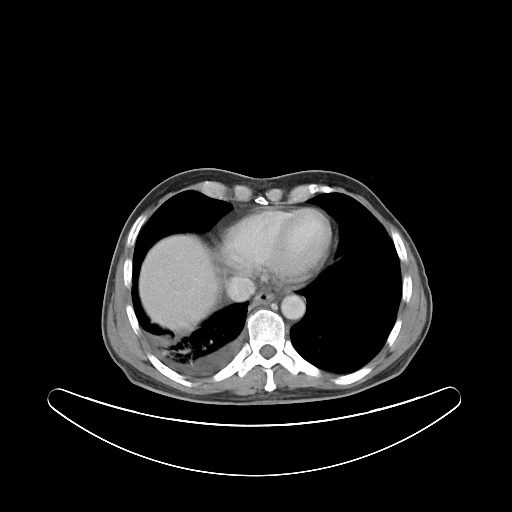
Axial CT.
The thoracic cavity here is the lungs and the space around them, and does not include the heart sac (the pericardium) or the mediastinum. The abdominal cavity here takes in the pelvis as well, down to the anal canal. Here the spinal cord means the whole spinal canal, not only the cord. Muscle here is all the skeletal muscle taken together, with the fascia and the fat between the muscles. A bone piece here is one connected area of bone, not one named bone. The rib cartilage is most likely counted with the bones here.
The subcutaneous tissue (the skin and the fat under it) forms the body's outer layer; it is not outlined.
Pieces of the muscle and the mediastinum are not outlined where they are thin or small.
Outlines (x, y in pixels):
torso: (194, 168) (219, 168) (259, 178) (302, 170) (329, 170) (351, 176) (372, 190) (412, 238) (422, 259) (432, 296) (429, 329) (405, 369) (387, 381) (346, 397) (276, 405) (195, 403) (133, 384) (113, 361) (102, 339) (101, 309) (110, 262) (121, 229) (143, 196) (164, 179)
muscle 1: (127, 234) (125, 245) (133, 247) (133, 250) (132, 258) (127, 257) (123, 262) (122, 278) (124, 285) (130, 289) (132, 304) (125, 305) (125, 312) (133, 332) (136, 335) (141, 330) (143, 332) (152, 352) (146, 353) (150, 363) (164, 376) (186, 387) (197, 385) (186, 377) (211, 376) (212, 381) (219, 382) (235, 373) (242, 378) (259, 365) (266, 375) (265, 391) (249, 395) (227, 390) (208, 394) (187, 393) (152, 379) (118, 356) (108, 337) (107, 313)
muscle 2: (331, 186) (343, 188) (365, 198) (397, 228) (406, 240) (416, 261) (427, 303) (425, 322) (420, 334) (410, 347) (386, 368) (358, 385) (342, 389) (320, 389) (314, 387) (300, 387) (292, 390) (276, 389) (277, 386) (274, 381) (273, 370) (273, 367) (276, 364) (281, 365) (294, 376) (302, 372) (308, 376) (319, 377) (322, 374) (321, 370) (338, 374) (331, 379) (331, 381) (337, 385) (351, 384) (367, 375) (373, 369) (373, 366) (368, 363) (380, 351) (384, 344) (391, 347) (396, 340) (402, 326) (402, 319) (397, 317) (400, 303) (408, 303) (412, 295) (412, 277) (409, 274) (402, 276) (401, 274) (400, 262) (407, 262) (408, 254) (400, 233) (392, 228) (389, 234) (380, 221) (362, 203) (350, 195) (338, 192) (335, 187)
muscle 3: (202, 181) (203, 181) (199, 186) (199, 191) (195, 189) (186, 189) (185, 190) (182, 190) (173, 194) (166, 199) (148, 218) (144, 213) (142, 213) (148, 207) (155, 204) (160, 198) (167, 193) (173, 192) (176, 190) (179, 190) (181, 188) (183, 188) (188, 185) (201, 182)
muscle 4: (225, 184) (227, 184) (228, 185) (233, 185) (234, 184) (236, 184) (235, 184) (231, 188) (231, 190) (232, 191) (232, 194) (233, 195) (233, 196) (235, 198) (235, 199) (232, 199) (231, 198) (227, 198) (227, 197) (226, 196) (226, 193) (228, 190) (228, 187)
muscle 5: (249, 187) (251, 188) (253, 188) (255, 190) (257, 190) (258, 191) (261, 191) (262, 192) (267, 189) (270, 189) (267, 190) (264, 193) (264, 194) (259, 194) (257, 195) (253, 199) (250, 199) (252, 196) (252, 194) (253, 192) (252, 190)
thoracic cavity 1: (336, 192) (362, 204) (383, 226) (392, 240) (401, 275) (401, 297) (396, 318) (383, 345) (366, 364) (343, 374) (321, 369) (305, 359) (288, 337) (291, 327) (306, 313) (307, 300) (300, 291) (341, 258) (335, 257) (339, 242) (336, 219) (321, 206) (308, 202) (317, 194)
thoracic cavity 2: (186, 190) (224, 200) (231, 208) (206, 231) (178, 231) (155, 241) (140, 264) (137, 295) (149, 321) (180, 339) (198, 330) (224, 308) (247, 303) (244, 324) (247, 341) (226, 365) (204, 377) (188, 377) (153, 353) (139, 324) (131, 295) (133, 251) (140, 230) (166, 200)
pericardium: (248, 205) (309, 205) (315, 206) (323, 210) (332, 220) (334, 220) (336, 226) (337, 235) (331, 262) (313, 280) (305, 286) (291, 290) (281, 288) (271, 282) (259, 281) (248, 275) (229, 273) (223, 268) (210, 243) (210, 234) (216, 229) (220, 223) (229, 218) (241, 208)
spinal cord: (267, 344) (268, 345) (270, 345) (271, 346) (272, 346) (275, 349) (275, 353) (272, 356) (271, 356) (270, 357) (269, 357) (268, 358) (266, 358) (265, 357) (264, 357) (260, 353) (260, 349) (264, 345) (266, 345)
bones 1: (259, 309) (268, 309) (281, 316) (293, 347) (305, 360) (320, 369) (319, 376) (302, 371) (294, 375) (276, 363) (272, 367) (276, 386) (272, 391) (264, 389) (267, 375) (259, 364) (242, 377) (235, 372) (219, 381) (212, 380) (212, 376) (226, 366) (248, 341) (246, 318), around a hole outlined by (267, 344) (268, 345) (270, 345) (271, 346) (272, 346) (275, 349) (275, 353) (272, 356) (271, 356) (270, 357) (269, 357) (268, 358) (266, 358) (265, 357) (264, 357) (260, 353) (260, 349) (264, 345) (266, 345)
bones 2: (311, 183) (315, 183) (318, 185) (328, 185) (335, 188) (337, 190) (335, 192) (316, 193) (303, 201) (299, 201) (294, 203) (270, 202) (265, 205) (257, 203) (254, 201) (254, 199) (257, 196) (264, 195) (267, 191) (272, 188) (279, 188) (286, 195) (291, 189) (295, 187)
bones 3: (147, 353) (151, 353) (153, 354) (161, 362) (162, 362) (165, 365) (166, 365) (174, 371) (183, 375) (187, 380) (189, 381) (191, 381) (194, 383) (196, 383) (196, 385) (194, 386) (186, 386) (164, 375) (161, 372) (160, 372) (151, 363) (151, 362) (149, 360) (147, 356)
bones 4: (204, 181) (215, 181) (216, 182) (220, 182) (221, 183) (224, 184) (227, 187) (227, 190) (225, 193) (225, 196) (226, 197) (226, 199) (219, 199) (218, 198) (211, 197) (210, 196) (208, 196) (207, 195) (204, 194) (202, 192) (201, 192) (200, 191) (200, 186)
bones 5: (367, 364) (371, 365) (372, 366) (372, 369) (367, 374) (356, 381) (354, 381) (351, 383) (348, 383) (347, 384) (337, 384) (336, 383) (334, 383) (332, 381) (332, 379) (333, 378) (335, 378) (339, 375) (343, 375) (344, 374) (351, 373) (354, 371) (356, 371)
bones 6: (141, 214) (144, 214) (147, 217) (147, 219) (146, 221) (142, 225) (141, 228) (139, 230) (137, 234) (137, 236) (135, 239) (135, 241) (134, 242) (134, 245) (133, 246) (127, 246) (126, 245) (126, 242) (127, 241) (127, 237) (128, 236) (129, 231) (135, 220)
bones 7: (392, 229) (394, 229) (399, 233) (401, 237) (401, 239) (403, 242) (403, 244) (404, 245) (404, 247) (407, 254) (407, 261) (405, 262) (404, 261) (402, 262) (400, 261) (399, 259) (399, 257) (398, 256) (397, 251) (395, 248) (393, 240) (390, 235) (390, 233)
bones 8: (237, 184) (239, 184) (240, 185) (244, 185) (245, 186) (248, 187) (251, 190) (252, 193) (251, 194) (251, 196) (250, 197) (250, 198) (248, 200) (238, 200) (237, 199) (236, 199) (236, 198) (233, 194) (233, 191) (232, 190) (232, 188) (235, 185) (236, 185)
bones 9: (405, 275) (409, 275) (411, 277) (411, 295) (410, 296) (410, 298) (409, 299) (409, 301) (408, 302) (405, 302) (404, 301) (401, 301) (401, 298) (402, 297) (402, 277) (403, 276) (404, 276)
bones 10: (127, 258) (130, 258) (131, 259) (132, 259) (132, 270) (131, 271) (131, 286) (130, 287) (130, 288) (128, 288) (125, 285) (125, 284) (124, 283) (124, 279) (123, 278) (123, 265) (124, 264) (124, 262) (125, 261) (125, 260)
bones 11: (128, 304) (132, 305) (134, 313) (136, 316) (136, 318) (138, 322) (138, 324) (141, 329) (140, 330) (140, 332) (138, 334) (136, 334) (134, 332) (130, 324) (130, 322) (129, 321) (129, 319) (128, 318) (128, 316) (126, 312) (126, 305)
bones 12: (397, 318) (400, 318) (401, 319) (401, 326) (400, 327) (399, 332) (398, 333) (395, 340) (393, 342) (392, 345) (391, 346) (389, 346) (388, 345) (385, 344) (385, 342) (386, 341) (386, 340) (387, 339) (387, 338) (388, 337) (388, 336) (396, 321) (396, 319)
mediastinum 1: (229, 274) (248, 276) (259, 282) (271, 283) (281, 289) (289, 291) (302, 288) (299, 292) (306, 300) (306, 309) (303, 317) (287, 331) (282, 316) (271, 309) (259, 308) (247, 315) (248, 303) (246, 301) (235, 303) (229, 293) (226, 285) (226, 280) (230, 278) (228, 276)
mediastinum 2: (227, 199) (237, 200) (238, 201) (253, 200) (257, 204) (264, 205) (248, 204) (241, 207) (235, 211) (229, 217) (220, 222) (215, 229) (209, 234) (209, 239) (206, 238) (204, 236) (204, 234) (202, 233) (206, 232) (212, 228) (224, 215) (231, 210) (232, 205) (225, 200)
mediastinum 3: (329, 215) (335, 219) (338, 226) (338, 242) (334, 253) (334, 257) (335, 258) (340, 257) (339, 259) (330, 265) (329, 265) (332, 262) (332, 260) (333, 259) (333, 255) (336, 247) (338, 233) (337, 232) (336, 222) (335, 220) (334, 219) (332, 219) (332, 218)
abdominal cavity: (178, 232) (201, 233) (206, 239) (209, 240) (218, 261) (228, 274) (227, 276) (229, 278) (225, 280) (225, 285) (234, 303) (216, 312) (188, 336) (180, 338) (176, 337) (171, 331) (163, 329) (150, 321) (142, 308) (138, 295) (138, 277) (140, 267) (146, 253) (160, 238)